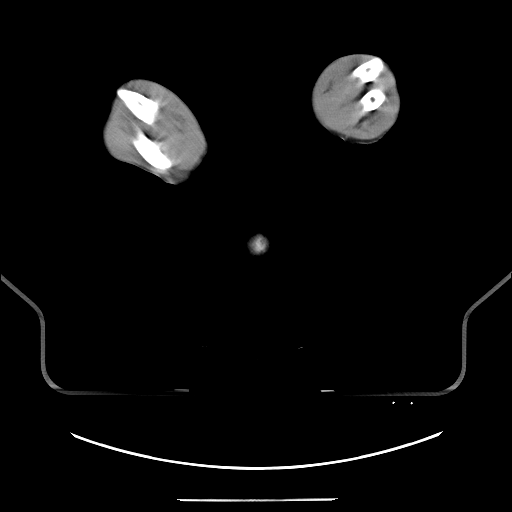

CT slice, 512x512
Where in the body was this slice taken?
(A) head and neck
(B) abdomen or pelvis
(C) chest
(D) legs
Answer: (A) head and neck
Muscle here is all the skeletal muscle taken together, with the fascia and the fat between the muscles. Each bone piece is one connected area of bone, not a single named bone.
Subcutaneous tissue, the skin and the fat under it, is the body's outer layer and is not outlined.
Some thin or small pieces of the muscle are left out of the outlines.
Outlines:
muscle 1: (134, 81) (153, 83) (172, 94) (187, 110) (199, 131) (201, 147) (188, 168) (179, 176) (157, 174) (153, 169) (144, 165) (120, 158) (112, 153) (105, 141) (104, 126) (116, 96) (137, 119) (148, 126) (153, 127) (157, 120) (161, 106) (158, 98) (154, 99) (122, 86) with a hole at (137, 127) (139, 128) (151, 140) (155, 141) (155, 142) (161, 148) (162, 151) (164, 153) (167, 154) (167, 155) (173, 160) (174, 164) (172, 166) (169, 168) (165, 168) (164, 169) (159, 167) (155, 167) (147, 162) (141, 156) (132, 143) (132, 139) (136, 135) (136, 128)
muscle 2: (358, 56) (372, 56) (357, 65) (349, 76) (358, 79) (358, 82) (363, 85) (378, 78) (386, 65) (393, 74) (398, 99) (398, 109) (393, 123) (381, 135) (371, 139) (347, 136) (344, 133) (331, 128) (318, 113) (315, 103) (315, 94) (318, 84) (326, 71) (340, 60), around a hole outlined by (374, 86) (380, 91) (383, 91) (386, 95) (386, 98) (379, 107) (375, 109) (373, 109) (370, 111) (365, 111) (363, 108) (363, 106) (362, 104) (360, 103) (359, 101) (360, 99) (363, 96) (363, 95) (368, 90) (369, 90) (372, 87)
muscle 3: (254, 236) (255, 236) (255, 237) (253, 240) (253, 247) (254, 248) (254, 249) (257, 252) (262, 252) (263, 251) (264, 251) (261, 253) (258, 253) (257, 254) (256, 253) (253, 253) (250, 250) (250, 248) (248, 245) (248, 243) (250, 241) (250, 240)
left arm: (362, 52) (375, 54) (391, 66) (397, 82) (397, 87) (401, 99) (401, 105) (397, 120) (380, 140) (370, 144) (363, 143) (353, 144) (348, 142) (345, 143) (341, 138) (333, 136) (328, 133) (323, 127) (314, 120) (309, 106) (310, 92) (320, 72) (331, 61) (342, 55)
bones 1: (118, 87) (123, 87) (126, 89) (136, 91) (148, 98) (150, 98) (154, 100) (155, 99) (158, 99) (159, 100) (160, 102) (160, 106) (158, 110) (156, 120) (154, 122) (153, 126) (148, 125) (140, 119) (137, 118) (127, 108) (122, 100) (120, 99) (115, 93) (116, 89)
bones 2: (137, 127) (139, 128) (151, 140) (155, 141) (155, 142) (161, 148) (162, 151) (164, 153) (167, 154) (167, 155) (173, 160) (174, 164) (172, 166) (169, 168) (165, 168) (164, 169) (159, 167) (155, 167) (147, 162) (141, 156) (132, 143) (132, 139) (136, 135) (136, 128)
bones 3: (373, 56) (379, 56) (384, 61) (384, 63) (385, 64) (385, 67) (384, 69) (378, 77) (376, 77) (372, 81) (366, 82) (363, 84) (361, 84) (359, 82) (359, 79) (358, 78) (356, 77) (351, 77) (350, 76) (352, 71) (357, 66) (358, 66) (361, 63) (368, 60)
bones 4: (374, 86) (380, 91) (383, 91) (386, 95) (386, 98) (379, 107) (375, 109) (373, 109) (370, 111) (365, 111) (363, 108) (363, 106) (362, 104) (360, 103) (359, 101) (360, 99) (363, 96) (363, 95) (368, 90) (369, 90) (372, 87)
bones 5: (257, 234) (260, 234) (262, 236) (263, 236) (265, 238) (265, 239) (266, 240) (267, 240) (267, 248) (265, 250) (265, 251) (264, 250) (263, 250) (262, 251) (257, 251) (255, 249) (255, 248) (254, 247) (254, 240) (255, 239) (255, 238) (256, 237) (256, 235)
head and neck: (257, 234) (260, 234) (262, 236) (263, 236) (265, 238) (265, 239) (266, 240) (267, 240) (267, 248) (265, 250) (265, 251) (263, 253) (262, 253) (259, 255) (252, 255) (250, 253) (250, 252) (248, 249) (248, 243) (249, 242) (249, 240) (253, 236) (254, 236)
right arm: (137, 77) (153, 80) (170, 89) (179, 96) (193, 112) (207, 137) (209, 144) (209, 152) (202, 165) (193, 175) (193, 177) (187, 182) (181, 184) (165, 182) (153, 173) (113, 158) (104, 149) (101, 139) (101, 131) (107, 116) (110, 100) (116, 89) (122, 82)